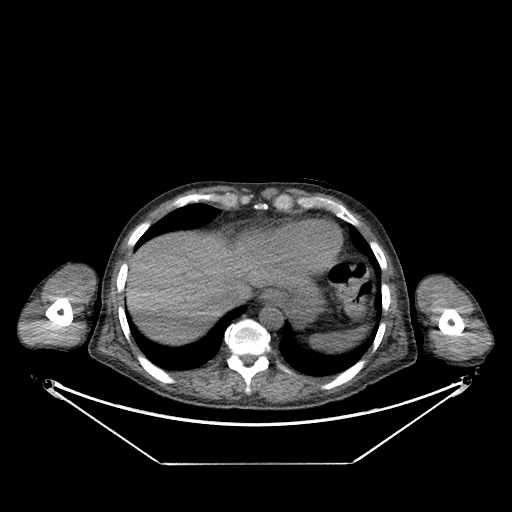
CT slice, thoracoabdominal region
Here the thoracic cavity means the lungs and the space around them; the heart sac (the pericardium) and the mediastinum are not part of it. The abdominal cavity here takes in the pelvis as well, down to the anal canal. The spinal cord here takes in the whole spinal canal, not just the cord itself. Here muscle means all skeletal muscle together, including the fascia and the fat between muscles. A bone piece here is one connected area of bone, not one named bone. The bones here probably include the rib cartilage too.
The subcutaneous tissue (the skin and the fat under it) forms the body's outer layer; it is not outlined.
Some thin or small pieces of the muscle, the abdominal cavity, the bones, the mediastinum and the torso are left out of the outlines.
Outlines:
abdominal cavity: (204, 224) (225, 224) (303, 273) (323, 273) (347, 250) (367, 256) (376, 277) (376, 321) (369, 337) (339, 355) (307, 350) (296, 342) (282, 306) (269, 295) (258, 295) (228, 311) (204, 337) (188, 345) (169, 347) (146, 338) (124, 307) (122, 292) (133, 250) (154, 236)
torso: (203, 180) (315, 183) (323, 187) (338, 188) (366, 205) (384, 226) (404, 273) (411, 323) (418, 349) (416, 362) (335, 402) (293, 410) (249, 410) (210, 408) (178, 402) (144, 388) (91, 358) (87, 345) (101, 306) (100, 282) (123, 227) (142, 206) (161, 193) (182, 184)
left arm: (434, 271) (442, 271) (455, 277) (473, 294) (482, 309) (489, 326) (493, 332) (495, 343) (493, 349) (481, 366) (475, 368) (472, 366) (466, 368) (449, 367) (441, 360) (432, 359) (428, 357) (423, 350) (422, 334) (418, 325) (414, 305) (414, 291) (418, 281) (424, 275)
thoracic cavity 1: (350, 224) (367, 242) (381, 270) (379, 323) (371, 345) (352, 365) (336, 375) (308, 375) (292, 368) (278, 351) (276, 346) (281, 340) (286, 322) (289, 324) (295, 342) (300, 347) (325, 356) (339, 356) (361, 346) (372, 334) (377, 321) (376, 272) (368, 256) (352, 242)
thoracic cavity 2: (240, 306) (245, 306) (245, 310) (240, 315) (232, 319) (225, 328) (221, 348) (213, 358) (199, 367) (171, 371) (167, 371) (156, 365) (142, 352) (131, 334) (125, 310) (125, 308) (127, 311) (137, 330) (146, 339) (161, 346) (178, 348) (188, 346) (204, 338) (222, 317)
thoracic cavity 3: (200, 202) (209, 204) (219, 209) (219, 212) (206, 223) (198, 225) (195, 227) (174, 229) (166, 231) (163, 233) (160, 233) (157, 235) (154, 235) (149, 239) (144, 241) (136, 249) (133, 249) (142, 235) (151, 225) (154, 224) (158, 220) (175, 209) (181, 208) (189, 204)
bones 1: (245, 318) (253, 319) (267, 330) (270, 335) (270, 344) (272, 347) (271, 351) (266, 354) (269, 361) (268, 367) (258, 371) (251, 378) (251, 391) (249, 394) (244, 391) (246, 384) (243, 377) (227, 364) (226, 360) (230, 352) (223, 340) (226, 328) (231, 323), around a hole outlined by (244, 354) (251, 354) (252, 355) (254, 355) (255, 356) (256, 356) (256, 358) (255, 359) (255, 360) (253, 362) (253, 363) (252, 364) (251, 364) (250, 365) (246, 365) (243, 362) (243, 361) (240, 358) (240, 356) (241, 356) (242, 355) (243, 355)
bones 2: (280, 194) (288, 194) (294, 200) (299, 197) (311, 197) (312, 196) (320, 196) (331, 199) (343, 205) (359, 221) (359, 225) (356, 227) (345, 220) (336, 216) (330, 211) (323, 208) (314, 207) (305, 209) (295, 204) (289, 211) (279, 210) (273, 206) (272, 203) (274, 199)
bones 3: (227, 192) (234, 193) (238, 196) (241, 196) (245, 194) (251, 194) (253, 197) (247, 204) (244, 205) (238, 204) (234, 207) (225, 208) (217, 202) (200, 201) (189, 203) (177, 208) (174, 208) (170, 206) (171, 203) (177, 198) (192, 193) (224, 194)
bones 4: (62, 296) (66, 296) (68, 297) (70, 304) (71, 305) (71, 307) (72, 308) (72, 311) (73, 312) (73, 318) (72, 319) (71, 323) (69, 325) (66, 325) (65, 326) (59, 326) (57, 325) (51, 321) (45, 315) (45, 311) (47, 308) (55, 300) (60, 298)
bones 5: (446, 308) (453, 308) (456, 311) (457, 311) (461, 316) (463, 320) (463, 322) (464, 323) (464, 328) (462, 331) (462, 333) (461, 335) (448, 335) (447, 334) (443, 334) (441, 333) (440, 331) (440, 329) (438, 327) (438, 320) (439, 319) (439, 317) (441, 315) (441, 313)
bones 6: (360, 359) (364, 359) (365, 360) (365, 363) (363, 367) (352, 378) (346, 381) (344, 383) (342, 383) (337, 386) (335, 386) (329, 389) (321, 389) (320, 388) (320, 386) (322, 384) (324, 384) (332, 380) (339, 373) (349, 368) (355, 363) (356, 363)
bones 7: (138, 354) (143, 354) (146, 357) (146, 358) (148, 359) (153, 364) (166, 371) (169, 374) (169, 375) (175, 380) (175, 382) (173, 383) (165, 383) (162, 381) (158, 380) (152, 375) (148, 373) (143, 368) (143, 367) (140, 364) (139, 361) (137, 359) (136, 356)
bones 8: (145, 221) (149, 221) (151, 224) (150, 225) (150, 226) (141, 235) (141, 236) (137, 240) (137, 241) (135, 243) (135, 244) (133, 246) (133, 247) (128, 246) (127, 245) (127, 242) (128, 241) (132, 232) (134, 230) (134, 229) (139, 224) (140, 224) (142, 222) (144, 222)
bones 9: (370, 241) (375, 241) (381, 248) (384, 254) (384, 256) (386, 260) (386, 263) (387, 264) (387, 267) (386, 269) (384, 270) (382, 270) (381, 269) (379, 265) (379, 263) (377, 259) (375, 257) (375, 255) (368, 243)
bones 10: (119, 306) (123, 306) (125, 311) (125, 315) (126, 316) (126, 319) (128, 323) (128, 326) (129, 327) (129, 330) (131, 335) (130, 336) (130, 342) (129, 342) (126, 339) (120, 324) (120, 321) (118, 316) (118, 307)
bones 11: (124, 262) (125, 262) (127, 264) (127, 275) (125, 279) (125, 283) (124, 284) (123, 291) (121, 292) (118, 292) (117, 291) (117, 285) (116, 284) (116, 280) (117, 279) (117, 276) (118, 275) (118, 272) (119, 271) (119, 269) (121, 265)
bones 12: (382, 282) (384, 282) (385, 283) (386, 283) (388, 285) (388, 286) (389, 287) (389, 290) (390, 291) (390, 302) (389, 303) (389, 305) (388, 306) (388, 308) (387, 309) (387, 310) (386, 311) (385, 311) (384, 310) (382, 310) (382, 297) (381, 296) (381, 283)
bones 13: (381, 321) (382, 321) (385, 323) (385, 330) (384, 331) (384, 333) (383, 334) (382, 339) (381, 340) (378, 347) (376, 349) (376, 350) (374, 352) (373, 352) (372, 351) (372, 343) (373, 342) (373, 340) (375, 337) (375, 334) (377, 331) (377, 329) (379, 326) (379, 324)
bones 14: (277, 360) (278, 360) (280, 362) (281, 362) (283, 364) (284, 364) (286, 366) (287, 366) (293, 372) (293, 374) (289, 374) (288, 373) (287, 373) (286, 372) (285, 372) (284, 371) (283, 371) (282, 370) (281, 370) (276, 365) (276, 361)
spinal cord: (244, 354) (251, 354) (252, 355) (254, 355) (255, 356) (256, 356) (256, 358) (255, 359) (255, 360) (253, 362) (253, 363) (252, 364) (251, 364) (250, 365) (246, 365) (243, 362) (243, 361) (240, 358) (240, 356) (241, 356) (242, 355) (243, 355)
mediastinum 1: (249, 204) (256, 210) (266, 210) (272, 206) (284, 212) (289, 212) (294, 208) (328, 211) (349, 224) (351, 242) (358, 251) (348, 249) (344, 228) (329, 215) (274, 214) (237, 219) (217, 226) (209, 225) (207, 223) (220, 212) (220, 209) (214, 206) (237, 209)
mediastinum 2: (258, 296) (269, 296) (270, 298) (273, 298) (281, 306) (285, 314) (286, 320) (282, 329) (280, 340) (277, 345) (271, 344) (271, 335) (268, 330) (253, 318) (245, 317) (237, 321) (231, 322) (232, 320) (240, 316) (246, 310) (247, 304) (251, 302) (254, 298) (257, 298)
pericardium: (288, 214) (314, 214) (333, 218) (343, 228) (347, 249) (341, 254) (339, 259) (333, 265) (319, 274) (303, 272) (285, 265) (284, 262) (271, 249) (262, 245) (253, 238) (245, 237) (229, 230) (225, 227) (225, 225) (237, 220) (269, 217) (274, 215) (283, 216)
right arm: (69, 260) (81, 260) (88, 263) (95, 269) (99, 278) (100, 285) (98, 286) (97, 290) (97, 297) (94, 304) (93, 321) (88, 335) (88, 340) (81, 347) (69, 352) (52, 349) (32, 350) (24, 347) (18, 341) (16, 336) (16, 322) (20, 309) (36, 284) (57, 266)
muscle 1: (211, 186) (247, 188) (256, 194) (269, 187) (297, 188) (331, 195) (359, 214) (391, 259) (407, 352) (337, 392) (276, 403) (249, 395) (221, 401) (176, 393) (120, 360) (100, 353) (97, 342) (107, 316) (114, 264) (123, 239) (137, 224) (126, 242) (132, 248) (129, 261) (120, 265) (115, 280) (116, 291) (123, 298) (117, 316) (125, 339) (130, 343) (131, 336) (142, 353) (135, 356) (139, 364) (158, 381) (175, 383) (168, 372) (205, 365) (220, 352) (223, 343) (229, 352) (226, 364) (242, 377) (247, 395) (252, 391) (252, 378) (269, 367) (267, 354) (272, 346) (297, 372) (313, 377) (335, 376) (319, 386) (321, 390) (329, 390) (352, 379) (366, 363) (362, 356) (371, 346) (373, 353) (379, 347) (386, 330) (386, 323) (380, 321) (382, 311) (386, 312) (391, 302) (390, 287) (381, 279) (382, 271) (388, 267) (387, 260) (375, 240) (368, 242) (364, 238) (357, 228) (360, 221) (343, 204) (320, 195) (294, 199) (288, 193) (280, 193) (272, 205) (265, 201) (252, 205) (251, 193) (192, 192) (174, 199) (169, 205) (174, 209) (152, 224) (149, 220) (142, 221) (163, 202) (185, 191) with a hole at (277, 360) (278, 360) (280, 362) (281, 362) (283, 364) (284, 364) (286, 366) (287, 366) (293, 372) (293, 374) (289, 374) (288, 373) (287, 373) (286, 372) (285, 372) (284, 371) (283, 371) (282, 370) (281, 370) (276, 365) (276, 361)
muscle 2: (69, 264) (84, 265) (92, 271) (95, 277) (95, 289) (91, 297) (89, 323) (86, 327) (83, 338) (78, 343) (71, 346) (60, 346) (52, 344) (30, 345) (25, 343) (19, 334) (19, 324) (24, 309) (28, 303) (33, 300) (33, 297) (42, 288) (46, 281) (63, 267), around a hole outlined by (62, 296) (66, 296) (68, 297) (70, 304) (71, 305) (71, 307) (72, 308) (72, 311) (73, 312) (73, 318) (72, 319) (71, 323) (69, 325) (66, 325) (65, 326) (59, 326) (57, 325) (51, 321) (45, 315) (45, 311) (47, 308) (55, 300) (60, 298)
muscle 3: (434, 275) (441, 275) (449, 278) (460, 290) (464, 292) (472, 302) (478, 317) (484, 323) (491, 336) (491, 342) (488, 349) (479, 356) (473, 356) (465, 360) (451, 360) (438, 355) (430, 346) (431, 342) (425, 332) (422, 312) (417, 302) (417, 294) (421, 283) (426, 278), around a hole outlined by (446, 308) (453, 308) (456, 311) (457, 311) (461, 316) (463, 320) (463, 322) (464, 323) (464, 328) (462, 331) (462, 333) (461, 335) (448, 335) (447, 334) (443, 334) (441, 333) (440, 331) (440, 329) (438, 327) (438, 320) (439, 319) (439, 317) (441, 315) (441, 313)